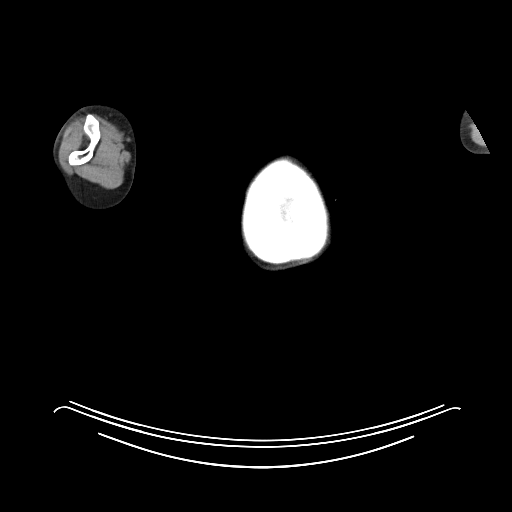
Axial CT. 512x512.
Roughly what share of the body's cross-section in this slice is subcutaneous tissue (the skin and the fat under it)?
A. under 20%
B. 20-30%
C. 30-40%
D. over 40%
B. 20-30%
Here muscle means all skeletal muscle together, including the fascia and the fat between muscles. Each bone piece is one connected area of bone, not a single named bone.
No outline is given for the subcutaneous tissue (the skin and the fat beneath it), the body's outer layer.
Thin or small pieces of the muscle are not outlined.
{"muscle":[[[91,113],[108,118],[130,137],[132,156],[127,176],[120,186],[112,190],[105,190],[70,177],[59,163],[58,151],[66,127],[77,117],[85,114],[82,130],[87,143],[82,148],[72,150],[67,161],[71,166],[79,166],[92,158],[101,131],[99,120]],[[471,121],[473,121],[476,124],[476,126],[478,128],[478,129],[479,130],[479,131],[480,132],[480,133],[481,134],[481,135],[482,136],[487,147],[483,147],[478,144],[476,144],[475,143],[472,142],[469,139],[469,137],[468,136],[468,127],[467,126]]],"bones":[[[281,156],[289,157],[295,162],[303,166],[316,180],[321,189],[329,210],[330,230],[329,237],[325,247],[320,253],[312,258],[307,260],[294,260],[286,263],[272,264],[258,259],[248,250],[241,235],[240,216],[245,190],[250,180],[258,170],[265,164]],[[88,113],[92,114],[98,120],[99,122],[100,137],[94,148],[93,154],[91,158],[88,161],[79,165],[71,165],[68,161],[69,154],[74,150],[79,150],[80,149],[82,149],[86,146],[88,143],[88,138],[83,130],[83,125],[86,118],[86,115]]],"left_arm":[[[463,110],[465,110],[468,113],[471,119],[476,124],[476,126],[478,128],[487,146],[487,148],[489,151],[489,153],[488,154],[474,154],[467,150],[462,145],[459,139],[459,135],[458,134],[458,126],[459,125],[459,120],[460,119],[460,117]]],"head_and_neck":[[[280,154],[291,154],[297,157],[309,168],[317,180],[329,210],[333,239],[331,246],[327,252],[313,265],[304,266],[286,271],[267,272],[258,269],[248,259],[244,253],[241,244],[240,216],[242,204],[244,200],[245,190],[250,180],[258,169],[268,160]]],"right_arm":[[[90,104],[104,104],[115,107],[120,110],[125,114],[130,121],[136,140],[137,150],[136,167],[132,185],[127,195],[121,202],[113,207],[102,210],[96,210],[85,207],[74,199],[56,168],[52,158],[53,142],[63,123],[74,111],[82,106]]]}